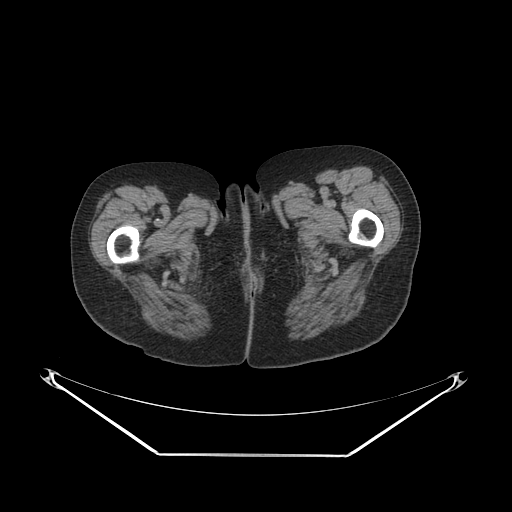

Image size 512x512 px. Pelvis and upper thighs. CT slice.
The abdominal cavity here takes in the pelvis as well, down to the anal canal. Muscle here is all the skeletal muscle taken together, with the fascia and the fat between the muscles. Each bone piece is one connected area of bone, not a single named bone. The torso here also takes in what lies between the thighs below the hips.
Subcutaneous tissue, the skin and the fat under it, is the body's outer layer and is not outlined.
{"left_leg":[[[331,144],[361,145],[384,153],[402,170],[415,194],[420,212],[421,233],[406,307],[397,323],[380,341],[362,350],[292,367],[252,368],[248,365],[253,314],[253,288],[249,273],[267,246],[267,216],[255,180],[256,171],[265,160],[280,152],[294,148]]],"bones":[[[121,225],[131,225],[134,226],[137,228],[139,232],[139,240],[140,243],[138,247],[139,256],[137,262],[125,263],[124,264],[114,263],[112,262],[108,256],[107,250],[106,249],[106,243],[107,242],[108,236],[114,229]],[[358,208],[365,208],[370,210],[376,214],[379,217],[382,222],[383,228],[384,229],[383,237],[381,241],[375,247],[369,247],[368,246],[362,246],[358,244],[354,244],[353,243],[351,243],[347,238],[347,235],[350,230],[350,224],[352,219],[352,215]]],"torso":[[[231,182],[236,182],[242,190],[245,183],[248,183],[255,190],[257,189],[266,216],[266,246],[261,255],[251,266],[249,272],[247,266],[247,258],[245,251],[240,242],[240,239],[233,226],[222,210],[224,208],[224,199],[223,198],[224,190],[226,186]]],"muscle":[{"outer":[[344,165],[373,167],[387,178],[405,211],[403,230],[395,247],[377,265],[366,287],[363,307],[357,316],[309,339],[289,340],[289,328],[284,324],[284,312],[302,288],[302,275],[295,260],[295,246],[273,213],[271,197],[289,180],[306,181],[329,166]],"hole":[[358,208],[365,208],[370,210],[376,214],[379,217],[382,222],[383,228],[384,229],[383,237],[381,241],[375,247],[369,247],[368,246],[362,246],[358,244],[354,244],[353,243],[351,243],[347,238],[347,235],[350,230],[350,224],[352,219],[352,215]]},{"outer":[[119,182],[156,184],[172,202],[178,204],[191,191],[204,193],[214,204],[218,224],[204,251],[204,275],[195,294],[211,319],[211,328],[204,336],[190,341],[180,340],[155,331],[139,316],[128,291],[93,257],[88,243],[90,221],[98,200],[110,186]],"hole":[[121,225],[131,225],[134,226],[137,228],[139,232],[139,240],[140,243],[138,247],[139,256],[137,262],[125,263],[124,264],[114,263],[112,262],[108,256],[107,250],[106,249],[106,243],[107,242],[108,236],[114,229]]},[[248,264],[259,265],[264,270],[264,284],[263,285],[263,291],[261,293],[256,291],[255,292],[258,285],[258,278],[254,274],[250,274],[247,278],[247,287],[251,293],[250,299],[248,302],[245,302],[243,295],[243,286],[240,279],[240,274],[242,266]]],"right_leg":[[[140,161],[188,163],[207,170],[217,180],[221,195],[218,203],[244,251],[252,288],[247,363],[244,361],[239,365],[196,367],[148,356],[138,347],[123,343],[102,330],[86,313],[77,297],[71,273],[70,230],[80,200],[91,181],[103,171],[120,164]]],"abdominal_cavity":[[[250,275],[254,275],[257,278],[257,285],[256,286],[256,288],[254,290],[254,292],[253,293],[252,293],[250,291],[250,289],[248,287],[248,278],[249,277],[249,276]]]}